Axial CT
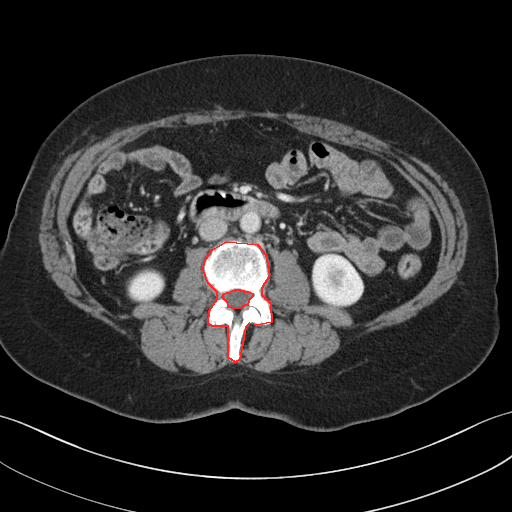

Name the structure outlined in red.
red: bones.
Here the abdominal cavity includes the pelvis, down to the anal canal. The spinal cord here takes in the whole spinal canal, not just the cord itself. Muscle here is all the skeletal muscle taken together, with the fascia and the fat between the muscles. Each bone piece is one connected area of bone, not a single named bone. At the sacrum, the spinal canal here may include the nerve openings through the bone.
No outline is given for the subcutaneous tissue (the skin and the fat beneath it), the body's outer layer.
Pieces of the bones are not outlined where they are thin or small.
{"bones":[{"outer":[[226,241],[257,244],[265,254],[269,275],[261,288],[261,294],[270,303],[271,322],[257,325],[249,323],[245,327],[239,359],[235,362],[228,357],[228,326],[212,326],[208,323],[209,310],[217,298],[217,292],[208,283],[203,270],[204,261],[212,249]],"hole":[[234,289],[239,289],[240,290],[243,290],[244,291],[248,291],[252,293],[252,296],[248,300],[247,305],[244,305],[240,308],[232,308],[231,307],[228,307],[228,304],[227,302],[222,297],[222,296],[224,293],[226,292],[228,292]]}],"torso":[[[234,53],[312,59],[379,80],[427,108],[471,153],[493,210],[501,323],[491,352],[469,376],[397,414],[333,431],[306,430],[237,408],[182,422],[155,423],[120,415],[48,385],[22,370],[0,346],[0,245],[46,136],[82,101],[124,78],[174,62]]],"abdominal_cavity":[[[252,116],[378,154],[421,194],[441,247],[415,295],[356,322],[346,310],[309,303],[308,276],[291,250],[269,249],[269,273],[264,250],[245,240],[218,243],[208,254],[208,247],[188,249],[175,303],[114,312],[86,289],[68,217],[102,160],[155,128]]],"spinal_cord":[[[234,289],[239,289],[240,290],[243,290],[244,291],[248,291],[252,293],[252,296],[248,300],[247,305],[244,305],[240,308],[232,308],[231,307],[228,307],[228,304],[227,302],[222,297],[222,296],[224,293],[226,292],[228,292]]],"muscle":[{"outer":[[221,108],[294,112],[332,119],[372,134],[392,146],[429,164],[442,177],[457,196],[467,223],[468,238],[466,254],[458,279],[443,296],[415,316],[344,346],[316,367],[289,374],[262,373],[249,369],[242,365],[232,363],[224,366],[217,371],[207,374],[181,375],[162,369],[154,364],[129,340],[64,298],[48,276],[39,253],[39,217],[41,216],[45,195],[53,176],[63,160],[78,146],[104,132],[140,119],[191,110]],"hole":[[252,116],[277,119],[301,132],[378,154],[427,202],[441,247],[433,275],[415,295],[356,322],[346,310],[309,303],[308,276],[295,255],[272,246],[269,279],[261,288],[270,303],[271,322],[245,327],[239,359],[232,362],[228,326],[208,323],[217,298],[204,276],[208,247],[187,250],[171,291],[175,303],[152,301],[129,313],[114,312],[78,277],[66,251],[66,242],[72,245],[68,217],[94,169],[113,150],[155,128]]}]}